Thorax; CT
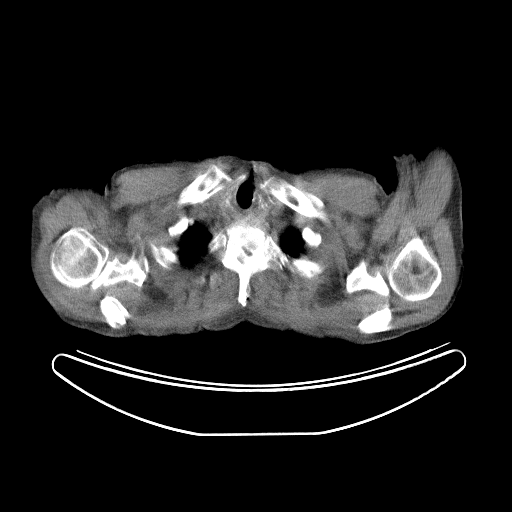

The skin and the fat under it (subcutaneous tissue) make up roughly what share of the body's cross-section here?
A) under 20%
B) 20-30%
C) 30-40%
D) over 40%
Answer: A) under 20%
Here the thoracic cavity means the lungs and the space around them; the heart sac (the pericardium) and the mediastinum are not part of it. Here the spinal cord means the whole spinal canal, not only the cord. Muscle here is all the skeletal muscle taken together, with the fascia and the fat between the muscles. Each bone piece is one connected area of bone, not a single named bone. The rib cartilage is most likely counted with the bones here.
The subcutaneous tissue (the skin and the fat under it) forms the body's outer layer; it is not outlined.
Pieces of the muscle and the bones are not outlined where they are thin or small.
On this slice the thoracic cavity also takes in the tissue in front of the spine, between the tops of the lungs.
The bones appear in 10 outlined pieces: piece 1: (416, 234) (439, 264) (441, 282) (432, 295) (416, 301) (405, 300) (391, 290) (387, 299) (395, 327) (359, 332) (356, 326) (360, 320) (380, 308) (386, 298) (366, 289) (348, 293) (346, 276) (363, 258) (368, 262) (370, 275) (378, 270) (385, 279) (386, 260) (391, 260); piece 2: (245, 216) (256, 218) (262, 224) (267, 223) (270, 231) (275, 230) (278, 243) (286, 253) (293, 257) (306, 256) (321, 264) (323, 271) (311, 278) (286, 268) (257, 272) (249, 279) (249, 294) (243, 307) (237, 300) (238, 274) (217, 262) (207, 252) (207, 244) (212, 233); piece 3: (78, 226) (85, 228) (108, 248) (110, 260) (117, 257) (120, 262) (124, 263) (133, 252) (136, 258) (145, 257) (149, 272) (142, 285) (139, 287) (125, 280) (107, 287) (102, 285) (92, 289) (88, 284) (74, 288) (58, 281) (50, 268) (51, 252) (56, 241) (65, 231); piece 4: (272, 175) (277, 176) (280, 179) (285, 180) (287, 182) (317, 196) (323, 203) (323, 207) (321, 210) (324, 214) (325, 219) (324, 220) (322, 220) (317, 217) (308, 217) (307, 216) (302, 215) (270, 194) (266, 193) (260, 187) (260, 184); piece 5: (211, 164) (214, 164) (218, 166) (230, 177) (232, 181) (228, 185) (224, 185) (221, 189) (219, 190) (219, 191) (213, 194) (207, 199) (205, 199) (203, 201) (196, 202) (191, 204) (181, 204) (179, 205) (177, 201) (181, 191) (189, 183) (190, 183) (198, 174) (202, 173); piece 6: (106, 294) (109, 294) (110, 295) (112, 295) (116, 297) (126, 308) (130, 315) (130, 316) (126, 319) (126, 323) (125, 325) (122, 326) (120, 328) (113, 328) (111, 327) (107, 323) (106, 323) (104, 320) (104, 317) (100, 310) (99, 302) (100, 300); piece 7: (151, 243) (153, 243) (157, 246) (164, 246) (168, 248) (173, 248) (175, 249) (175, 252) (178, 255) (179, 257) (179, 263) (178, 264) (174, 264) (170, 269) (166, 269) (162, 267) (157, 262) (155, 261) (152, 255) (152, 253) (151, 252) (151, 247) (150, 246) (150, 244); piece 8: (183, 216) (186, 216) (188, 218) (190, 218) (192, 219) (193, 221) (193, 223) (192, 224) (190, 224) (188, 226) (186, 230) (179, 237) (173, 237) (171, 236) (169, 234) (169, 232) (168, 231) (168, 228) (170, 226) (173, 225) (181, 217); piece 9: (305, 227) (308, 227) (313, 231) (314, 231) (315, 232) (317, 232) (318, 233) (319, 233) (321, 235) (321, 241) (320, 242) (320, 243) (316, 247) (309, 247) (308, 246) (307, 246) (305, 244) (305, 243) (301, 236) (301, 231) (302, 230) (302, 229) (303, 229); piece 10: (243, 172) (247, 172) (248, 173) (247, 174) (247, 176) (243, 180) (242, 180) (241, 181) (240, 181) (239, 182) (237, 180) (237, 179) (236, 178) (237, 177) (237, 176) (239, 174) (240, 174) (241, 173) (242, 173). The torso is outlined by (220, 154) (267, 160) (294, 171) (351, 165) (374, 173) (385, 191) (378, 223) (385, 288) (432, 324) (389, 340) (355, 345) (240, 324) (224, 333) (202, 331) (181, 339) (120, 339) (56, 321) (52, 317) (84, 291) (95, 273) (106, 235) (103, 188) (113, 172) (137, 160). The left arm is outlined by (437, 147) (444, 147) (452, 152) (460, 173) (463, 192) (462, 219) (464, 272) (462, 285) (453, 305) (441, 318) (432, 323) (406, 308) (386, 288) (380, 268) (379, 223) (385, 193) (392, 190) (397, 182) (397, 176) (392, 160) (393, 154) (400, 154) (408, 151) (419, 159). The thoracic cavity appears in 2 outlined pieces: piece 1: (250, 170) (261, 182) (259, 187) (267, 194) (267, 201) (289, 207) (294, 211) (294, 220) (270, 221) (252, 215) (221, 214) (208, 224) (211, 237) (206, 251) (183, 261) (180, 257) (182, 235) (197, 221) (196, 215) (202, 205) (222, 193) (233, 180) (239, 183) (243, 181); inner edge: (260, 194) (261, 195) (262, 195) (262, 198) (264, 200) (265, 200) (265, 201) (266, 202) (266, 207) (264, 207) (263, 208) (260, 208) (259, 207) (259, 195); piece 2: (288, 227) (291, 227) (292, 228) (297, 230) (299, 232) (300, 232) (300, 236) (303, 241) (303, 244) (301, 246) (301, 249) (298, 252) (298, 253) (297, 254) (297, 256) (293, 256) (289, 253) (286, 252) (281, 247) (281, 246) (279, 243) (279, 241) (280, 240) (280, 235). The right arm is outlined by (64, 183) (92, 184) (102, 190) (105, 205) (105, 235) (101, 247) (101, 252) (99, 255) (94, 273) (83, 291) (72, 300) (66, 303) (52, 316) (46, 306) (42, 303) (35, 293) (30, 283) (27, 271) (27, 253) (30, 226) (30, 212) (33, 204) (42, 194) (52, 188). The muscle appears in 2 outlined pieces: piece 1: (437, 152) (449, 158) (453, 173) (451, 230) (457, 273) (453, 291) (443, 309) (419, 323) (395, 328) (388, 299) (392, 291) (408, 302) (425, 300) (442, 282) (440, 264) (417, 233) (391, 259) (385, 260) (385, 278) (378, 269) (370, 274) (369, 262) (363, 257) (345, 276) (348, 294) (366, 290) (385, 298) (380, 307) (355, 326) (359, 333) (368, 334) (354, 338) (276, 325) (247, 308) (191, 329) (121, 328) (131, 315) (121, 301) (109, 293) (98, 302) (104, 322) (76, 319) (56, 309) (34, 271) (35, 252) (41, 238) (39, 216) (46, 201) (62, 191) (91, 191) (108, 202) (113, 196) (116, 178) (131, 169) (222, 159) (241, 164) (263, 163) (289, 175) (339, 172) (365, 176) (389, 202) (401, 183) (399, 160) (423, 165); inner edges: (211, 164) (232, 180) (252, 170) (260, 182) (274, 175) (317, 196) (324, 220) (295, 210) (291, 221) (250, 217) (279, 238) (288, 227) (319, 233) (320, 243) (304, 242) (297, 256) (323, 271) (311, 278) (286, 268) (257, 272) (243, 307) (238, 274) (206, 251) (187, 261) (180, 257) (170, 269) (156, 262) (150, 244) (173, 248) (179, 257) (182, 236) (171, 236) (168, 228) (183, 216) (196, 222) (202, 205) (227, 187) (203, 201) (178, 204) (181, 191), then (78, 226) (85, 228) (108, 248) (110, 260) (117, 257) (120, 262) (124, 263) (133, 252) (136, 258) (145, 257) (149, 272) (142, 285) (139, 287) (125, 280) (107, 287) (102, 285) (92, 289) (88, 284) (74, 288) (58, 281) (50, 268) (51, 252) (56, 241) (65, 231); piece 2: (221, 215) (224, 215) (225, 216) (240, 216) (242, 215) (244, 216) (241, 218) (238, 218) (237, 219) (235, 219) (227, 225) (225, 225) (223, 227) (220, 228) (218, 230) (212, 232) (210, 230) (210, 228) (209, 227) (209, 224) (212, 223) (219, 216). The spinal cord is outlined by (245, 249) (246, 250) (247, 250) (248, 251) (249, 252) (250, 252) (250, 253) (250, 254) (249, 254) (248, 254) (247, 254) (247, 253) (246, 252) (245, 251) (245, 250).